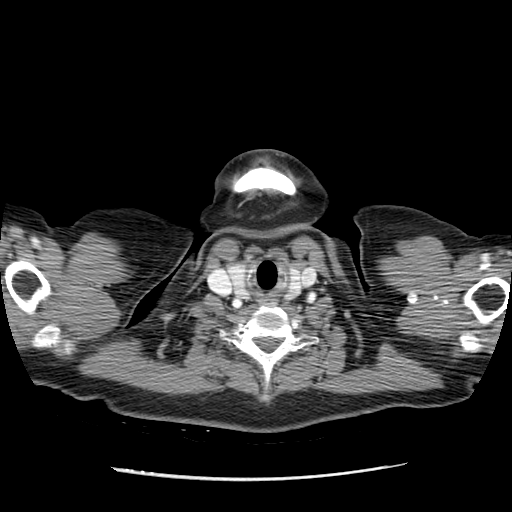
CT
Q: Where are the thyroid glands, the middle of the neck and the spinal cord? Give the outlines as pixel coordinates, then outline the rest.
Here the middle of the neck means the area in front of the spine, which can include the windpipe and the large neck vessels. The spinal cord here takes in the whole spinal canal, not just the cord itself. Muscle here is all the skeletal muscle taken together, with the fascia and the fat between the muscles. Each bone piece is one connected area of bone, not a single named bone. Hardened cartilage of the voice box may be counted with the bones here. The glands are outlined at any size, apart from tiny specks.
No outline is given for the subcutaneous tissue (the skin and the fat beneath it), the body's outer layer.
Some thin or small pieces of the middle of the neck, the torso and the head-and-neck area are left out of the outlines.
A: The thyroid glands appear in 2 outlined pieces: piece 1: 237 262; 243 262; 245 263; 247 266; 246 267; 247 269; 246 270; 246 286; 249 291; 249 297; 250 298; 242 299; 241 298; 235 297; 234 296; 234 290; 235 288; 233 285; 232 277; 228 270; 228 267; piece 2: 286 264; 292 265; 296 269; 297 269; 298 271; 298 274; 299 275; 299 278; 300 279; 300 290; 301 291; 300 295; 294 296; 292 299; 289 301; 287 301; 284 298; 284 296; 288 292; 289 284; 290 283; 290 274; 289 273; 289 269. The middle of the neck appears in 2 outlined pieces: piece 1: 254 256; 275 257; 285 262; 289 274; 287 292; 283 296; 286 302; 274 303; 270 301; 260 305; 249 303; 236 306; 210 287; 208 283; 209 275; 217 269; 227 270; 234 288; 233 296; 242 300; 250 299; 250 291; 247 286; 247 263; piece 2: 305 266; 313 266; 315 268; 317 272; 317 294; 312 302; 300 302; 299 301; 294 301; 293 300; 293 298; 297 296; 300 296; 302 293; 302 291; 301 290; 301 279; 300 278; 300 275; 299 274; 299 271; 298 269; 301 269. The spinal cord is outlined by 262 337; 272 337; 273 338; 276 338; 277 339; 281 339; 281 341; 278 344; 278 345; 275 348; 275 349; 274 350; 273 350; 271 352; 266 352; 262 349; 261 349; 260 348; 260 347; 256 344; 255 341; 253 339; 254 338; 261 338. The left arm is outlined by 368 204; 399 204; 414 207; 447 221; 471 235; 482 236; 488 233; 508 233; 510 235; 511 282; 509 283; 509 297; 504 311; 503 321; 495 342; 494 351; 468 398; 412 364; 369 293; 359 254; 360 231; 352 219; 352 213; 355 210. The muscle appears in 2 outlined pieces: piece 1: 2 222; 56 241; 76 242; 90 230; 119 240; 133 264; 122 297; 120 326; 128 331; 182 294; 217 238; 279 242; 311 236; 340 281; 372 314; 379 305; 373 260; 395 239; 429 234; 448 249; 501 246; 511 251; 511 282; 497 274; 484 276; 461 295; 484 327; 504 313; 503 321; 493 353; 470 360; 441 388; 297 391; 269 406; 233 389; 168 395; 86 377; 64 361; 20 349; 0 282 with holes at 254 256; 317 272; 312 302; 276 304; 290 318; 302 316; 302 328; 320 340; 274 365; 268 400; 260 399; 261 367; 219 336; 219 329; 229 330; 238 317; 247 320; 258 304; 236 306; 208 283; 214 270; 246 264 and at 21 258; 24 258; 33 262; 35 264; 36 267; 43 272; 52 289; 50 293; 48 294; 48 296; 44 302; 39 307; 35 309; 36 314; 33 316; 27 315; 19 309; 8 293; 8 286; 6 283; 5 268; 11 262; 16 261 and at 50 323; 53 323; 60 328; 61 335; 64 339; 71 339; 77 336; 79 338; 81 344; 76 351; 68 355; 63 352; 63 348; 61 345; 59 346; 60 349; 58 351; 55 351; 53 348; 35 348; 31 346; 30 340; 34 334; 43 326 and at 465 330; 472 330; 475 333; 478 334; 478 335; 480 337; 483 337; 484 338; 484 344; 485 345; 485 347; 481 351; 479 352; 465 352; 464 351; 462 351; 462 349; 459 344; 459 340; 458 338; 459 336; 462 333; 462 332; 463 332; piece 2: 261 154; 272 155; 277 160; 285 163; 296 174; 303 177; 304 181; 299 189; 302 200; 297 207; 285 212; 282 216; 268 220; 247 220; 245 217; 233 217; 227 211; 227 203; 231 192; 226 187; 224 179; 236 169; 245 166; 252 157 with a hole at 268 166; 278 170; 289 177; 293 181; 296 187; 296 192; 295 193; 292 195; 288 195; 280 191; 272 189; 268 189; 267 190; 264 189; 251 189; 243 192; 234 192; 232 190; 232 184; 234 179; 239 178; 248 170; 252 168; 267 167. The right arm is outlined by 8 201; 35 209; 52 226; 71 224; 89 210; 98 207; 134 206; 189 225; 195 229; 195 232; 191 244; 169 277; 162 280; 139 301; 130 320; 132 323; 128 327; 34 383; 18 351; 8 319; 2 284; 0 282; 0 238; 5 205. The bones appear in 6 outlined pieces: piece 1: 270 302; 281 307; 290 318; 302 316; 302 328; 316 335; 320 340; 316 344; 290 352; 274 365; 266 391; 270 398; 261 400; 260 397; 264 392; 261 367; 232 343; 221 339; 219 329; 229 330; 236 325; 236 318; 247 320; 259 306; inner edge: 262 337; 272 337; 273 338; 276 338; 277 339; 281 339; 281 341; 278 344; 278 345; 275 348; 275 349; 274 350; 273 350; 271 352; 266 352; 262 349; 261 349; 260 348; 260 347; 256 344; 255 341; 253 339; 254 338; 261 338; piece 2: 21 258; 24 258; 33 262; 35 264; 36 267; 43 272; 52 289; 50 293; 48 294; 48 296; 44 302; 39 307; 35 309; 36 314; 33 316; 27 315; 19 309; 8 293; 8 286; 6 283; 5 268; 11 262; 16 261; piece 3: 494 275; 499 276; 509 283; 510 285; 509 297; 508 298; 507 305; 504 312; 500 314; 496 319; 488 325; 484 326; 483 322; 474 314; 473 314; 472 312; 466 307; 465 304; 462 300; 462 295; 468 288; 480 279; 484 277; 490 277; piece 4: 268 166; 278 170; 289 177; 293 181; 296 187; 296 192; 295 193; 292 195; 288 195; 280 191; 272 189; 268 189; 267 190; 264 189; 251 189; 243 192; 234 192; 232 190; 232 184; 234 179; 239 178; 248 170; 252 168; 267 167; piece 5: 50 323; 53 323; 60 328; 61 335; 64 339; 71 339; 77 336; 79 338; 81 344; 76 351; 68 355; 63 352; 63 348; 61 345; 59 346; 60 349; 58 351; 55 351; 53 348; 35 348; 31 346; 30 340; 34 334; 43 326; piece 6: 465 330; 472 330; 475 333; 478 334; 478 335; 480 337; 483 337; 484 338; 484 344; 485 345; 485 347; 481 351; 479 352; 465 352; 464 351; 462 351; 462 349; 459 344; 459 340; 458 338; 459 336; 462 333; 462 332; 463 332. The head and neck is outlined by 260 148; 287 152; 317 176; 327 191; 329 206; 313 225; 348 243; 364 288; 349 364; 321 422; 275 433; 236 431; 180 361; 166 291; 166 285; 186 253; 187 257; 195 251; 209 235; 199 228; 198 219; 213 199; 216 176; 234 156. The torso appears in 2 outlined pieces: piece 1: 165 287; 176 357; 234 430; 206 427; 195 424; 186 424; 160 420; 150 420; 126 416; 108 410; 100 400; 88 400; 87 401; 77 400; 70 396; 64 395; 55 389; 35 384; 128 328; 134 322; 137 321; 144 315; 153 305; piece 2: 365 289; 367 289; 368 293; 411 364; 461 394; 467 399; 462 402; 444 407; 434 407; 433 408; 394 407; 368 414; 360 415; 356 417; 350 417; 349 418; 322 422; 350 364; 350 360; 351 359; 351 355; 352 354; 352 350.